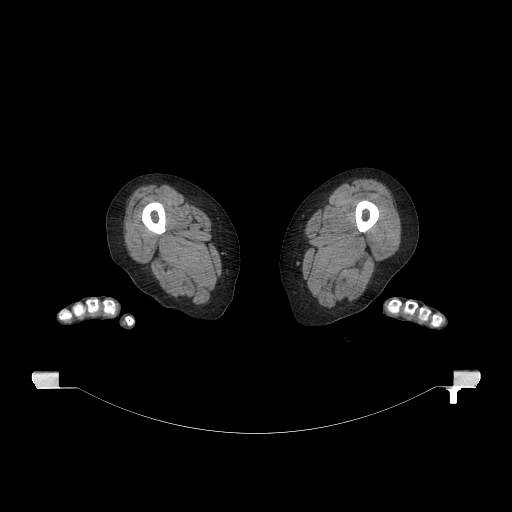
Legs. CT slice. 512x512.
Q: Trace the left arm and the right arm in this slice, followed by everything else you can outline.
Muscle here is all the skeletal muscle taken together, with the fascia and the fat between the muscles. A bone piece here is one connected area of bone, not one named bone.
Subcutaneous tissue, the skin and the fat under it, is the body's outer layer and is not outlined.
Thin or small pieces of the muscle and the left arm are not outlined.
A: The left arm is outlined by [[392,296],[404,296],[410,299],[418,299],[423,301],[428,306],[435,307],[447,317],[448,319],[448,323],[446,327],[441,330],[432,330],[410,321],[403,321],[402,320],[398,320],[391,317],[386,317],[382,313],[382,304],[385,299]]. The right arm is outlined by [[100,295],[107,295],[115,298],[121,305],[121,314],[126,312],[132,314],[135,321],[134,326],[131,329],[125,329],[121,327],[118,323],[117,318],[102,320],[89,319],[73,325],[61,325],[57,322],[57,312],[63,309],[69,303],[78,301],[86,296]]. The left leg is outlined by [[362,166],[378,168],[389,173],[399,181],[409,193],[416,208],[419,221],[417,246],[409,261],[391,278],[383,291],[366,308],[358,313],[327,325],[315,327],[301,325],[294,319],[291,313],[279,274],[279,255],[285,231],[300,203],[315,188],[342,171]]. The bones appear in 7 outlined pieces: piece 1: [[152,201],[157,201],[158,202],[160,202],[163,205],[164,207],[164,210],[165,211],[165,217],[166,218],[166,221],[165,222],[165,231],[161,234],[157,234],[149,230],[145,226],[141,218],[141,215],[142,214],[142,210],[143,209],[143,207],[146,204]]; piece 2: [[363,199],[366,199],[374,203],[377,206],[379,210],[379,216],[378,217],[378,219],[376,221],[376,222],[368,230],[367,230],[365,232],[361,232],[358,230],[356,226],[356,222],[355,221],[355,208],[356,207],[356,205],[357,203],[360,200],[362,200]]; piece 3: [[93,298],[96,298],[98,300],[99,308],[98,310],[92,315],[86,311],[82,317],[79,318],[73,315],[69,321],[64,321],[59,318],[59,313],[62,309],[64,308],[68,310],[71,310],[73,306],[76,303],[79,302],[84,304],[88,299],[92,299]]; piece 4: [[406,301],[414,301],[419,307],[427,307],[431,311],[432,314],[433,313],[441,314],[443,316],[444,320],[441,325],[438,327],[433,327],[429,324],[431,320],[430,315],[426,321],[420,321],[418,317],[419,310],[417,308],[412,315],[404,312],[403,309]]; piece 5: [[105,299],[111,299],[112,300],[113,300],[116,303],[116,311],[115,312],[115,314],[114,315],[110,315],[109,314],[106,314],[104,312],[104,311],[103,310],[103,305],[102,304],[102,302],[103,301],[103,300],[104,300]]; piece 6: [[392,299],[397,299],[398,300],[399,300],[402,303],[402,304],[400,306],[400,309],[399,310],[399,311],[397,313],[396,313],[395,314],[394,313],[392,313],[391,312],[390,312],[388,310],[387,310],[387,309],[386,308],[386,304],[390,300],[391,300]]; piece 7: [[126,316],[131,316],[132,317],[133,317],[133,318],[134,319],[134,320],[135,321],[134,322],[134,323],[132,325],[128,325],[126,323],[126,322],[125,321],[125,320],[124,319],[124,318]]. The muscle appears in 4 outlined pieces: piece 1: [[356,178],[375,179],[383,183],[390,190],[400,218],[401,241],[399,249],[391,257],[381,262],[376,268],[366,290],[358,299],[339,308],[326,309],[318,305],[310,294],[302,277],[301,262],[307,245],[304,228],[312,214],[339,185],[345,182],[349,183]]; inner edge: [[363,199],[366,199],[374,203],[377,206],[379,210],[379,216],[378,217],[378,219],[376,221],[376,222],[368,230],[367,230],[365,232],[361,232],[358,230],[356,226],[356,222],[355,221],[355,208],[356,207],[356,205],[357,203],[360,200],[362,200]]; piece 2: [[152,183],[157,185],[170,185],[181,193],[191,204],[201,209],[209,217],[212,223],[212,240],[220,255],[222,274],[218,279],[211,299],[207,304],[194,305],[169,296],[159,286],[155,278],[135,262],[127,252],[123,237],[123,220],[128,198],[139,186]] with a hole at [[152,201],[157,201],[158,202],[160,202],[163,205],[164,207],[164,210],[165,211],[165,217],[166,218],[166,221],[165,222],[165,231],[161,234],[157,234],[149,230],[145,226],[141,218],[141,215],[142,214],[142,210],[143,209],[143,207],[146,204]]; piece 3: [[402,302],[404,302],[404,305],[403,306],[403,308],[402,309],[402,310],[403,311],[403,312],[406,314],[408,314],[410,316],[412,316],[415,313],[415,312],[417,310],[417,309],[418,310],[418,313],[417,314],[417,317],[419,320],[418,320],[417,319],[415,319],[412,317],[408,317],[407,316],[402,316],[401,315],[398,315],[397,314],[396,314],[397,314],[400,311],[400,310],[401,309],[401,306],[403,304],[403,303]]; piece 4: [[99,300],[102,300],[102,301],[101,302],[101,304],[102,305],[102,310],[103,311],[103,312],[106,315],[109,315],[93,315],[96,312],[97,312],[99,310],[99,309],[100,308],[100,304],[99,303]]. The right leg is outlined by [[152,172],[169,173],[182,177],[205,190],[222,206],[235,228],[240,246],[239,273],[231,303],[224,313],[215,320],[196,319],[175,309],[161,306],[153,298],[142,292],[126,272],[114,263],[110,256],[105,228],[107,208],[113,197],[125,183],[139,175]].